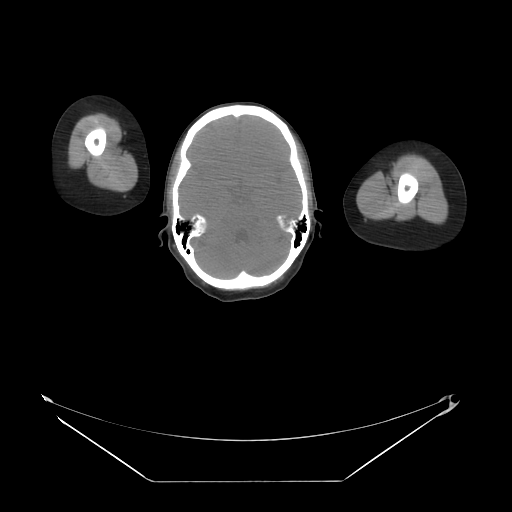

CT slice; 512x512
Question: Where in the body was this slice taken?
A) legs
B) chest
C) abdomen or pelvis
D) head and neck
Answer: D) head and neck
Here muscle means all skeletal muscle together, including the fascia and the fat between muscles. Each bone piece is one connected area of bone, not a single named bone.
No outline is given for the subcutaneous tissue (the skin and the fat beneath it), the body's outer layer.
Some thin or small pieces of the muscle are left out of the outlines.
{"left_arm":[[[404,138],[415,138],[424,140],[439,147],[455,163],[464,181],[467,194],[467,215],[465,224],[459,235],[453,241],[435,250],[430,251],[405,251],[370,244],[360,239],[351,231],[344,217],[342,207],[343,194],[349,181],[356,171],[377,150],[393,141]]],"head":[[[236,100],[265,104],[300,135],[311,164],[317,204],[323,210],[315,212],[322,237],[315,228],[303,263],[285,288],[258,299],[220,301],[187,280],[168,249],[166,234],[162,234],[162,246],[157,234],[167,220],[159,214],[166,169],[178,137],[206,108]]],"right_arm":[[[96,93],[106,94],[118,99],[134,114],[142,128],[146,140],[150,164],[150,187],[145,199],[137,206],[123,213],[112,216],[101,216],[88,213],[76,209],[64,202],[55,192],[52,186],[50,174],[50,143],[59,117],[63,111],[78,98],[88,94]]],"bones":[{"outer":[[233,104],[264,107],[286,123],[293,136],[302,168],[307,190],[307,206],[310,219],[307,240],[291,265],[270,283],[264,286],[245,289],[218,288],[201,279],[179,253],[171,229],[172,187],[180,163],[180,148],[184,136],[190,126],[206,112],[217,107]],"hole":[[244,115],[258,117],[280,132],[300,190],[300,209],[296,215],[275,217],[290,239],[274,269],[261,274],[241,269],[221,277],[204,269],[195,255],[191,240],[206,231],[207,219],[198,212],[181,213],[179,188],[192,166],[187,151],[197,133],[218,119]]},[[404,172],[408,172],[412,175],[413,175],[417,179],[417,181],[418,182],[418,189],[417,190],[417,192],[415,194],[414,197],[409,202],[407,203],[401,203],[398,200],[398,197],[397,196],[397,187],[398,186],[398,181],[399,180],[399,177],[400,175]],[[97,127],[102,127],[104,128],[105,130],[105,133],[106,134],[106,143],[105,144],[105,147],[104,148],[104,150],[102,152],[102,153],[98,156],[93,156],[87,150],[84,142],[85,141],[85,137],[88,133],[88,132],[89,132],[92,129],[96,128]]],"muscle":[{"outer":[[406,152],[415,152],[423,155],[437,170],[448,202],[449,214],[447,220],[440,225],[421,224],[415,221],[400,221],[388,225],[373,225],[361,221],[359,218],[360,213],[355,202],[355,197],[359,186],[372,173],[378,169],[381,169],[388,162]],"hole":[[404,172],[408,172],[412,175],[413,175],[417,179],[417,181],[418,182],[418,189],[417,190],[417,192],[415,194],[414,197],[409,202],[407,203],[401,203],[398,200],[398,197],[397,196],[397,187],[398,186],[398,181],[399,180],[399,177],[400,175]]},{"outer":[[98,111],[105,112],[109,115],[117,118],[121,126],[126,130],[130,139],[132,154],[135,158],[138,167],[138,180],[135,186],[131,190],[125,193],[114,192],[87,184],[80,177],[71,172],[66,163],[67,146],[69,137],[75,122],[81,116],[85,114]],"hole":[[97,127],[102,127],[104,128],[105,130],[105,133],[106,134],[106,143],[105,144],[105,147],[104,148],[104,150],[102,152],[102,153],[98,156],[93,156],[87,150],[84,142],[85,141],[85,137],[88,133],[88,132],[89,132],[92,129],[96,128]]},[[292,132],[296,136],[302,147],[306,158],[308,172],[310,177],[310,184],[312,192],[312,203],[313,204],[312,207],[312,218],[311,219],[312,227],[311,229],[311,219],[309,214],[309,207],[308,206],[308,190],[303,168],[298,155],[298,150],[296,142]],[[181,141],[180,147],[179,148],[179,163],[178,164],[177,170],[174,177],[174,180],[172,183],[172,186],[171,187],[171,223],[167,212],[167,205],[166,204],[167,202],[167,184],[168,183],[169,173],[171,169],[173,159],[177,150],[177,148]],[[294,262],[293,264],[293,266],[285,276],[283,280],[282,280],[279,283],[276,284],[274,286],[272,287],[270,287],[269,288],[264,288],[260,290],[247,290],[246,291],[239,291],[238,292],[229,292],[228,291],[221,291],[215,288],[217,288],[218,289],[223,289],[224,290],[245,290],[246,289],[249,289],[250,288],[255,288],[256,287],[264,287],[270,284],[272,282],[275,281],[277,279],[278,279],[292,265],[292,264]],[[181,256],[186,262],[186,263],[189,266],[189,267],[193,271],[193,272],[201,280],[202,280],[208,285],[211,286],[206,286],[205,285],[202,284],[196,278],[195,278],[190,272],[188,267],[186,265],[185,262],[183,260],[183,259],[181,257]]],"brain":[[[244,115],[258,117],[280,132],[300,190],[300,209],[296,215],[275,217],[290,239],[274,269],[261,274],[241,269],[221,277],[204,269],[195,255],[191,240],[206,231],[207,219],[198,212],[181,213],[179,188],[192,166],[187,151],[197,133],[218,119]]]}